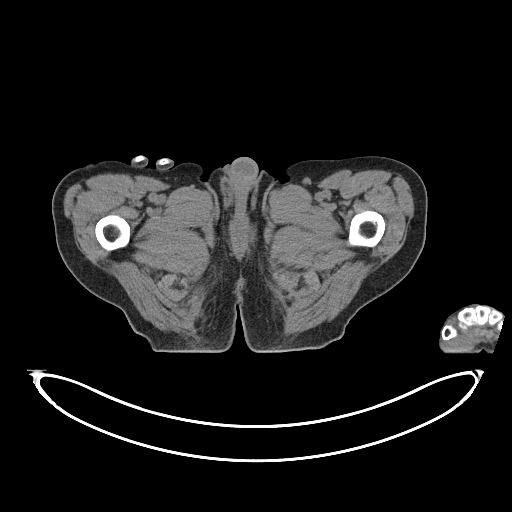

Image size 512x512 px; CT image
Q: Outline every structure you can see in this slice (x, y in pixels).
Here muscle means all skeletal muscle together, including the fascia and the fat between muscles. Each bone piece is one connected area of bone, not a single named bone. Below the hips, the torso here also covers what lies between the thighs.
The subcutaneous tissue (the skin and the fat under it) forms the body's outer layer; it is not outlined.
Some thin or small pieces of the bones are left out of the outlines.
A: {"bones":[[[364,210],[373,210],[378,212],[382,215],[385,222],[385,229],[384,230],[383,235],[376,245],[372,247],[367,247],[366,246],[350,246],[350,244],[347,240],[348,239],[348,232],[349,231],[349,226],[350,225],[351,219],[355,214],[359,212],[361,212]],[[108,214],[115,214],[116,215],[118,215],[125,219],[128,223],[129,227],[130,228],[130,239],[129,240],[129,242],[126,246],[122,247],[121,248],[118,248],[114,250],[107,250],[102,247],[98,242],[95,235],[95,225],[96,224],[96,222],[100,218]],[[477,305],[488,306],[499,311],[502,314],[503,316],[502,318],[502,324],[501,325],[501,329],[499,331],[497,329],[497,326],[495,324],[491,325],[487,322],[482,325],[478,324],[470,325],[466,329],[461,329],[458,327],[457,314],[465,307],[475,307]],[[447,324],[450,324],[451,325],[452,325],[453,326],[454,326],[457,329],[457,335],[456,336],[455,336],[452,338],[450,338],[447,340],[444,340],[442,338],[442,337],[441,336],[441,334],[442,333],[442,329],[443,328],[443,327],[445,325],[446,325]]],"left_arm":[[[474,302],[481,305],[492,306],[496,310],[499,311],[503,316],[501,329],[499,331],[497,341],[493,351],[491,353],[487,353],[484,351],[481,351],[478,353],[444,353],[438,345],[438,340],[442,333],[443,328],[442,327],[444,320],[449,314],[455,310]]],"right_leg":[[[111,159],[128,163],[132,168],[150,170],[166,170],[182,162],[194,162],[203,168],[201,179],[213,191],[227,254],[240,268],[235,334],[226,351],[154,351],[143,337],[132,330],[119,308],[90,293],[64,264],[57,249],[51,213],[55,187],[71,170]]],"right_arm":[[[145,157],[148,159],[146,165],[149,168],[153,168],[156,165],[157,162],[161,160],[163,160],[165,162],[166,160],[169,159],[172,160],[175,165],[170,168],[167,168],[166,169],[150,169],[149,168],[132,167],[129,164],[132,160],[134,159],[140,160]]],"torso":[[[240,156],[247,156],[252,158],[257,163],[260,169],[264,169],[273,175],[261,208],[255,218],[256,227],[255,238],[241,267],[233,261],[228,254],[222,234],[222,228],[217,211],[214,191],[206,181],[209,173],[214,168],[230,163],[234,159]]],"muscle":[{"outer":[[352,166],[371,166],[397,171],[408,183],[414,201],[414,215],[404,244],[393,257],[363,280],[350,303],[331,322],[320,324],[296,335],[283,335],[279,326],[280,306],[261,273],[258,261],[269,196],[275,188],[288,180],[302,181],[313,186],[326,173]],"hole":[[364,210],[373,210],[378,212],[382,215],[385,222],[385,229],[384,230],[383,235],[376,245],[372,247],[367,247],[366,246],[350,246],[350,244],[347,240],[348,239],[348,232],[349,231],[349,226],[350,225],[351,219],[355,214],[359,212],[361,212]]},{"outer":[[112,171],[149,175],[171,182],[194,183],[211,195],[218,224],[206,277],[206,295],[202,305],[202,312],[207,324],[203,337],[185,337],[173,332],[166,333],[144,320],[118,281],[93,265],[77,248],[71,221],[64,215],[65,192],[82,177]],"hole":[[108,214],[115,214],[116,215],[118,215],[125,219],[128,223],[129,227],[130,228],[130,239],[129,240],[129,242],[126,246],[122,247],[121,248],[118,248],[114,250],[107,250],[102,247],[98,242],[95,235],[95,225],[96,224],[96,222],[100,218]]},[[455,315],[457,319],[457,327],[461,330],[466,330],[468,327],[475,325],[482,326],[487,323],[491,326],[495,325],[499,332],[497,341],[480,342],[469,350],[446,349],[443,345],[443,340],[447,341],[458,335],[458,329],[454,325],[448,323],[449,320]]],"left_leg":[[[364,155],[399,160],[413,168],[421,177],[427,192],[427,222],[425,243],[417,261],[398,284],[360,309],[349,321],[342,337],[329,345],[278,353],[253,352],[246,345],[239,316],[241,268],[256,238],[256,218],[274,176],[285,180],[285,169],[301,160]]]}